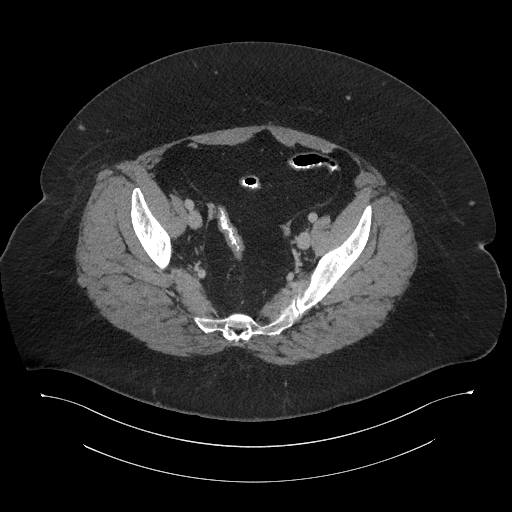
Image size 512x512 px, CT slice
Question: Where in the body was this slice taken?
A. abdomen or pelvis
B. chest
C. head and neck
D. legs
Answer: A. abdomen or pelvis
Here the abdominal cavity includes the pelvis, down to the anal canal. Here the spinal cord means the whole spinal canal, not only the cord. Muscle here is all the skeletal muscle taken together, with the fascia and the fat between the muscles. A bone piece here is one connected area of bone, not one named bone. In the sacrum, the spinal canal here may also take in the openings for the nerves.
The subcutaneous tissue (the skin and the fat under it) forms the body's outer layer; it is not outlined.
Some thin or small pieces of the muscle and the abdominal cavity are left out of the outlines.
{"muscle":[{"outer":[[269,121],[348,148],[373,165],[402,196],[413,226],[418,260],[392,315],[372,333],[352,344],[284,366],[265,362],[237,346],[209,355],[181,357],[166,354],[148,348],[112,325],[76,281],[74,255],[78,226],[97,174],[108,165],[133,159],[184,136]],"hole":[[262,130],[288,147],[341,150],[358,165],[352,199],[333,220],[325,214],[311,227],[316,257],[348,237],[368,204],[371,225],[361,253],[319,302],[279,334],[253,334],[235,345],[218,330],[205,333],[194,321],[194,316],[224,316],[214,311],[202,284],[172,255],[160,269],[144,250],[131,222],[131,194],[135,187],[140,189],[173,242],[184,232],[188,215],[184,202],[166,195],[154,179],[162,154],[188,140],[233,146]]},[[306,276],[308,276],[308,282],[301,293],[294,295],[290,299],[289,302],[279,310],[275,318],[272,319],[271,321],[264,324],[258,323],[257,319],[254,316],[256,312],[262,308],[268,300],[282,292],[289,290],[292,286],[297,284]]],"bones":[[[368,204],[372,207],[371,225],[361,253],[325,296],[290,327],[271,336],[253,334],[248,340],[240,340],[235,345],[220,331],[205,333],[196,324],[194,316],[221,318],[233,312],[248,314],[260,325],[271,322],[294,296],[302,293],[318,260],[348,237]],[[135,187],[138,187],[140,189],[151,213],[168,233],[170,237],[172,253],[170,258],[170,262],[165,269],[160,269],[150,258],[144,250],[133,229],[133,226],[131,222],[130,210],[131,209],[131,194],[132,193],[132,190]]],"abdominal_cavity":[[[262,130],[288,147],[345,152],[358,165],[354,196],[333,220],[325,214],[313,223],[311,247],[320,257],[309,276],[268,299],[253,316],[241,311],[224,316],[172,255],[188,215],[184,202],[166,195],[154,179],[154,166],[184,141],[233,146]]],"torso":[[[231,41],[294,43],[354,57],[413,87],[455,126],[487,185],[496,232],[484,247],[506,288],[489,353],[354,403],[251,422],[181,413],[69,372],[27,368],[6,311],[0,255],[16,224],[42,197],[40,172],[56,139],[90,99],[134,69],[177,51]]],"spinal_cord":[[[234,329],[235,329],[236,329],[237,329],[238,329],[239,329],[240,329],[241,329],[242,329],[242,330],[241,331],[240,331],[239,332],[238,333],[237,332],[236,332],[235,331],[234,330]]]}